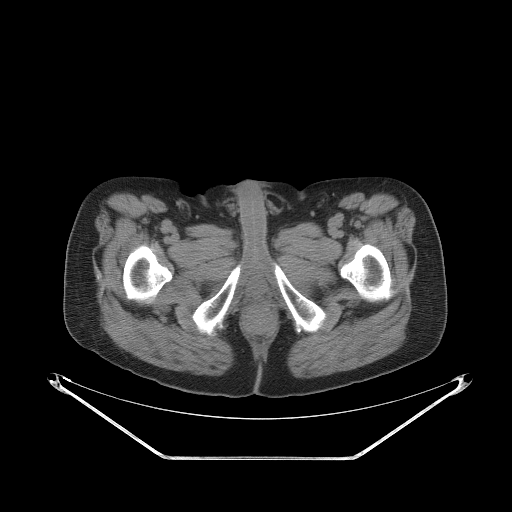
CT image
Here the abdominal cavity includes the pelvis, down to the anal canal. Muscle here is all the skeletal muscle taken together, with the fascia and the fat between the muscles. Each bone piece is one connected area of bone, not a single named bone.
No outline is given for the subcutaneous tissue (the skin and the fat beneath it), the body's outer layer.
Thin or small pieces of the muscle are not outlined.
Outlined structures:
torso: (124, 175) (172, 178) (188, 195) (243, 178) (282, 180) (302, 188) (331, 178) (382, 175) (409, 184) (427, 203) (443, 251) (448, 315) (439, 345) (427, 357) (393, 372) (282, 398) (187, 393) (108, 362) (80, 346) (66, 329) (64, 262) (69, 233) (85, 195) (102, 181)
bones 1: (366, 243) (376, 246) (383, 253) (388, 264) (390, 270) (390, 275) (392, 280) (391, 288) (395, 290) (396, 292) (387, 300) (370, 302) (363, 299) (360, 296) (355, 287) (347, 279) (342, 278) (340, 276) (340, 269) (342, 265) (350, 261) (353, 258) (355, 252) (363, 244)
bones 2: (143, 244) (148, 246) (156, 255) (158, 261) (161, 264) (166, 266) (172, 273) (172, 278) (171, 280) (166, 282) (162, 286) (153, 301) (149, 304) (141, 303) (135, 300) (129, 300) (127, 299) (123, 287) (123, 281) (122, 280) (123, 268) (127, 256) (131, 251) (138, 246)
bones 3: (274, 262) (279, 265) (284, 272) (286, 277) (299, 292) (319, 305) (325, 312) (326, 316) (322, 323) (322, 325) (321, 327) (316, 331) (314, 332) (307, 332) (302, 330) (300, 332) (296, 332) (295, 330) (295, 321) (281, 294) (276, 278) (274, 275) (274, 266) (273, 265)
bones 4: (238, 264) (240, 264) (240, 275) (238, 278) (238, 281) (234, 290) (233, 297) (223, 317) (222, 328) (219, 329) (216, 327) (214, 329) (215, 334) (213, 335) (209, 335) (206, 333) (200, 332) (192, 319) (192, 314) (194, 310) (203, 301) (213, 296) (220, 289) (232, 269)
abdominal cavity: (256, 275) (263, 277) (265, 283) (267, 284) (267, 288) (273, 296) (275, 307) (275, 324) (271, 333) (269, 334) (267, 339) (261, 345) (258, 345) (252, 339) (244, 326) (242, 317) (243, 316) (242, 314) (248, 299) (247, 291) (248, 290) (248, 282) (250, 281) (252, 276)
muscle: (125, 190) (148, 191) (162, 200) (180, 230) (199, 223) (231, 228) (240, 250) (244, 245) (250, 252) (264, 244) (270, 248) (280, 228) (324, 217) (347, 194) (397, 193) (415, 216) (417, 261) (405, 341) (354, 369) (294, 377) (286, 357) (296, 333) (316, 332) (327, 314) (274, 261) (294, 330) (278, 311) (281, 322) (266, 361) (254, 358) (238, 311) (223, 332) (235, 363) (222, 375) (170, 370) (133, 356) (100, 323) (91, 253) (98, 243) (101, 198); inner edges: (366, 243) (376, 246) (383, 253) (388, 264) (390, 270) (390, 275) (392, 280) (391, 288) (395, 290) (396, 292) (387, 300) (370, 302) (363, 299) (360, 296) (355, 287) (347, 279) (342, 278) (340, 276) (340, 269) (342, 265) (350, 261) (353, 258) (355, 252) (363, 244), then (143, 244) (148, 246) (156, 255) (158, 261) (161, 264) (166, 266) (172, 273) (172, 278) (171, 280) (166, 282) (162, 286) (153, 301) (149, 304) (141, 303) (135, 300) (129, 300) (127, 299) (123, 287) (123, 281) (122, 280) (123, 268) (127, 256) (131, 251) (138, 246), then (256, 275) (263, 277) (265, 283) (267, 284) (267, 288) (273, 296) (275, 307) (275, 324) (271, 333) (269, 334) (267, 339) (261, 345) (258, 345) (252, 339) (244, 326) (242, 317) (243, 316) (242, 314) (248, 299) (247, 291) (248, 290) (248, 282) (250, 281) (252, 276), then (238, 264) (240, 264) (240, 275) (238, 278) (238, 281) (234, 290) (233, 297) (223, 317) (222, 328) (219, 329) (216, 327) (214, 329) (215, 334) (213, 335) (209, 335) (206, 333) (200, 332) (192, 319) (192, 314) (194, 310) (203, 301) (213, 296) (220, 289) (232, 269)